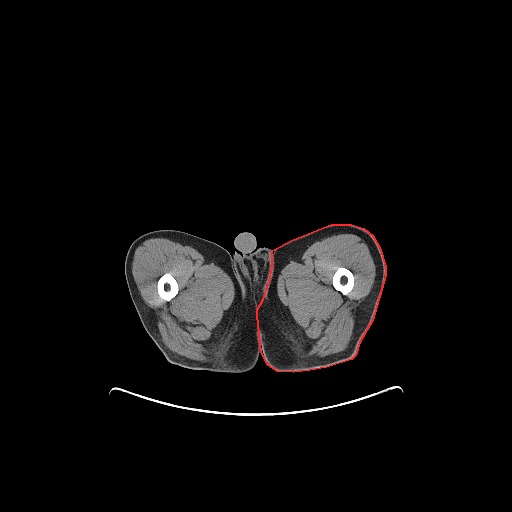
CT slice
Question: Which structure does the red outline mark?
Answer: red: left leg.
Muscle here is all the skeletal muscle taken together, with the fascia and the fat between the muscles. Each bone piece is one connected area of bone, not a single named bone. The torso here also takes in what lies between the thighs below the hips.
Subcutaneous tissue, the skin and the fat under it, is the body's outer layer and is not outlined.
The left leg is outlined by (331, 224) (351, 224) (363, 228) (372, 235) (379, 247) (385, 266) (385, 275) (372, 320) (359, 342) (355, 355) (351, 359) (326, 367) (309, 370) (293, 372) (277, 371) (268, 365) (261, 352) (257, 315) (257, 309) (263, 299) (269, 281) (272, 267) (272, 250) (293, 239). The right leg is outlined by (159, 229) (173, 229) (193, 234) (222, 246) (231, 254) (238, 282) (255, 303) (256, 309) (260, 353) (255, 366) (249, 371) (240, 373) (216, 372) (203, 369) (189, 369) (173, 364) (164, 357) (144, 329) (129, 293) (124, 273) (124, 263) (128, 248) (137, 237) (144, 233). The torso is outlined by (242, 232) (251, 233) (255, 237) (256, 245) (258, 248) (266, 247) (271, 250) (271, 267) (268, 277) (268, 281) (262, 299) (257, 308) (256, 308) (256, 303) (239, 282) (235, 264) (233, 262) (233, 259) (232, 258) (232, 254) (236, 250) (234, 244) (235, 238) (238, 234). The bones appear in 2 outlined pieces: piece 1: (344, 267) (349, 269) (352, 272) (353, 274) (353, 276) (354, 277) (354, 283) (353, 284) (353, 287) (352, 289) (346, 294) (346, 295) (344, 295) (341, 292) (335, 289) (332, 284) (332, 277) (333, 276) (333, 274) (336, 271) (336, 270) (337, 270) (339, 268) (343, 268); piece 2: (164, 273) (169, 273) (171, 274) (171, 275) (177, 281) (177, 283) (178, 284) (178, 292) (176, 294) (176, 295) (174, 296) (169, 301) (166, 301) (162, 299) (159, 296) (158, 294) (158, 292) (157, 291) (157, 281) (158, 279). The muscle appears in 2 outlined pieces: piece 1: (151, 236) (167, 236) (178, 238) (189, 244) (216, 263) (230, 276) (234, 283) (234, 301) (216, 328) (216, 335) (212, 346) (212, 354) (210, 360) (201, 361) (191, 359) (170, 350) (162, 341) (157, 327) (156, 318) (152, 310) (141, 299) (132, 274) (132, 262) (135, 249); inner edge: (164, 273) (169, 273) (171, 274) (171, 275) (177, 281) (177, 283) (178, 284) (178, 292) (176, 294) (176, 295) (174, 296) (169, 301) (166, 301) (162, 299) (159, 296) (158, 294) (158, 292) (157, 291) (157, 281) (158, 279); piece 2: (338, 233) (353, 233) (366, 242) (375, 265) (374, 282) (369, 293) (356, 309) (354, 327) (348, 346) (342, 351) (325, 357) (305, 357) (302, 354) (307, 348) (296, 331) (296, 325) (293, 319) (278, 297) (276, 288) (277, 277) (286, 264) (301, 254) (315, 241) (322, 237); inner edge: (344, 267) (349, 269) (352, 272) (353, 274) (353, 276) (354, 277) (354, 283) (353, 284) (353, 287) (352, 289) (346, 294) (346, 295) (344, 295) (341, 292) (335, 289) (332, 284) (332, 277) (333, 276) (333, 274) (336, 271) (336, 270) (337, 270) (339, 268) (343, 268).